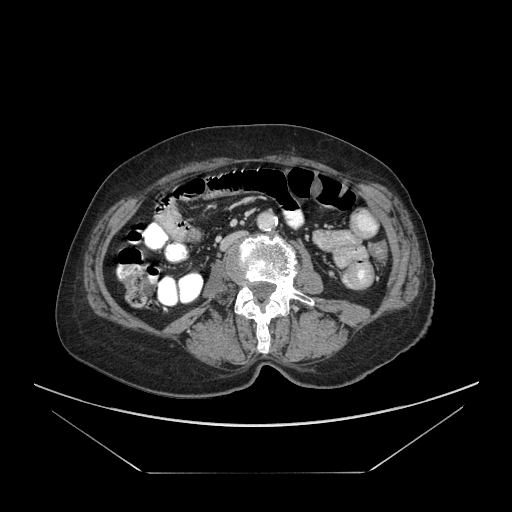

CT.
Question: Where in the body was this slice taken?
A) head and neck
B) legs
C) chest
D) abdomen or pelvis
Answer: D) abdomen or pelvis
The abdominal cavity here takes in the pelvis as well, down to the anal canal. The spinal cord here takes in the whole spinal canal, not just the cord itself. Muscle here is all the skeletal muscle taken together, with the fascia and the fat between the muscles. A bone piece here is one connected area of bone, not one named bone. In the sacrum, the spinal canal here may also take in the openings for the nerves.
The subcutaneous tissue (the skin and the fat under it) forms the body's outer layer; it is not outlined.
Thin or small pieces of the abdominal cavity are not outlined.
The abdominal cavity is outlined by [[241,162],[319,170],[359,195],[386,231],[391,249],[389,276],[375,311],[320,296],[324,282],[308,250],[278,233],[234,239],[225,263],[218,258],[210,265],[202,291],[205,299],[161,328],[114,299],[105,283],[104,259],[114,236],[142,203],[168,185]]. The muscle is outlined by [[282,154],[310,158],[379,183],[405,204],[415,226],[423,263],[419,293],[409,306],[365,325],[341,349],[320,359],[291,362],[266,355],[271,347],[271,320],[286,316],[292,300],[309,307],[315,305],[314,298],[294,284],[298,259],[288,241],[295,240],[307,250],[323,282],[320,297],[360,304],[372,312],[383,299],[393,262],[392,249],[387,231],[368,205],[339,178],[294,164],[241,161],[178,180],[149,195],[111,239],[103,259],[103,279],[122,308],[161,329],[206,299],[203,291],[211,265],[221,260],[237,285],[233,311],[255,322],[256,351],[264,354],[242,364],[211,365],[168,338],[124,327],[93,311],[84,288],[83,254],[95,225],[117,201],[172,171],[205,159]]. The torso is outlined by [[256,123],[300,125],[339,137],[375,156],[399,178],[423,220],[434,261],[434,312],[426,337],[345,387],[326,390],[300,386],[264,365],[248,387],[207,398],[150,393],[68,354],[55,325],[57,290],[71,241],[103,180],[128,158],[181,132],[211,125]]. The bones are outlined by [[252,234],[278,234],[292,246],[297,259],[297,273],[293,284],[314,300],[314,305],[309,306],[292,299],[286,315],[279,314],[270,320],[270,347],[265,354],[257,351],[256,322],[234,311],[238,285],[229,275],[226,264],[226,254],[232,242]], around a hole outlined by [[252,282],[267,282],[268,283],[271,283],[272,284],[274,284],[275,285],[275,288],[274,289],[274,290],[265,299],[264,299],[263,300],[259,300],[254,295],[253,292],[249,288],[249,287],[248,286],[249,283],[251,283]]. The spinal cord is outlined by [[252,282],[267,282],[268,283],[271,283],[272,284],[274,284],[275,285],[275,288],[274,289],[274,290],[265,299],[264,299],[263,300],[259,300],[254,295],[253,292],[249,288],[249,287],[248,286],[249,283],[251,283]].